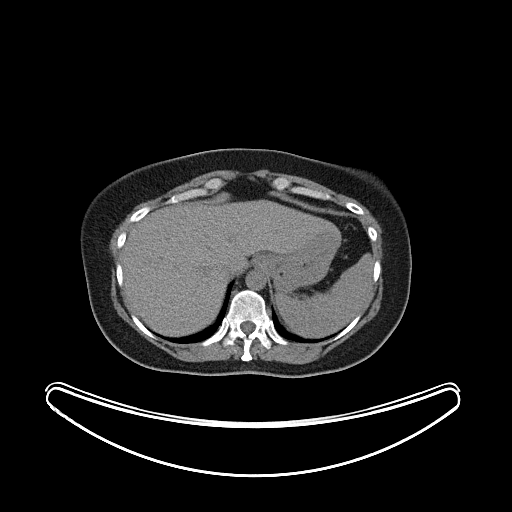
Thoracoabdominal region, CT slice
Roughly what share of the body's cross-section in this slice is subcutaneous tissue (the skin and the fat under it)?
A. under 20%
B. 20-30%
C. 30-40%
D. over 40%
Answer: C. 30-40%
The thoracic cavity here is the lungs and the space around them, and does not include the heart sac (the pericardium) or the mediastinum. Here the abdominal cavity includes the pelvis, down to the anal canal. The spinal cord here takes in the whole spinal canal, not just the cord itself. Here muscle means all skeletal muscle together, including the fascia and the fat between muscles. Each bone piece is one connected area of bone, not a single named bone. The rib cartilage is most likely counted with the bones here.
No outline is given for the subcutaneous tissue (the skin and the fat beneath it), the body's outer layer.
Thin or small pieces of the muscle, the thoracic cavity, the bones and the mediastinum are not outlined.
{"torso":[[[219,148],[281,150],[371,168],[387,180],[408,226],[412,260],[411,282],[407,305],[399,323],[371,356],[339,371],[307,377],[193,375],[159,371],[135,363],[114,348],[103,335],[90,307],[80,251],[80,226],[89,203],[104,186],[133,169],[168,158]]],"thoracic_cavity":[[[231,282],[232,282],[232,285],[230,290],[229,301],[226,313],[222,318],[218,328],[210,336],[201,341],[190,342],[189,343],[171,342],[158,336],[163,336],[167,338],[180,338],[196,334],[211,326],[216,321],[220,313],[220,311],[222,309],[228,285]],[[273,312],[275,314],[277,321],[279,324],[290,334],[293,334],[296,336],[298,336],[300,338],[309,339],[310,340],[311,339],[321,339],[333,336],[328,339],[319,342],[301,342],[300,341],[294,341],[286,339],[275,328],[274,322],[271,317],[271,314]]],"bones":[{"outer":[[241,290],[252,290],[264,299],[265,310],[270,315],[274,328],[288,341],[284,345],[272,340],[268,349],[255,338],[249,347],[251,355],[249,361],[241,360],[243,340],[239,337],[232,344],[225,346],[221,340],[206,346],[199,344],[219,328],[232,297]],"hole":[[246,321],[249,321],[250,322],[252,322],[254,324],[254,325],[255,326],[254,327],[254,329],[251,332],[250,332],[248,334],[247,334],[246,333],[245,333],[241,329],[241,324],[243,322],[245,322]]},[[277,177],[284,177],[289,180],[291,183],[294,185],[300,185],[304,187],[321,190],[324,192],[326,192],[331,196],[331,199],[330,200],[323,200],[301,194],[292,193],[290,192],[288,188],[286,188],[283,190],[278,190],[272,186],[272,181]],[[211,178],[220,178],[222,180],[222,186],[218,189],[216,190],[210,189],[206,195],[202,195],[201,196],[192,197],[188,199],[184,199],[175,203],[168,203],[167,204],[165,204],[165,201],[172,195],[177,193],[183,192],[192,188],[201,187],[207,180]],[[145,206],[148,206],[149,207],[150,207],[150,210],[141,219],[140,219],[138,221],[136,221],[135,222],[131,222],[129,220],[129,219],[130,218],[130,217],[132,215],[132,214],[135,211],[136,211],[138,209],[139,209],[142,207],[144,207]],[[131,314],[134,314],[138,318],[138,319],[151,332],[152,332],[156,336],[156,338],[152,338],[151,337],[150,337],[149,336],[148,336],[146,334],[145,334],[136,325],[136,324],[133,321],[133,320],[132,319],[132,318],[131,317]],[[359,314],[361,315],[360,316],[360,318],[355,324],[355,325],[350,330],[349,330],[346,333],[345,333],[342,336],[339,337],[337,339],[329,341],[329,339],[332,338],[342,330],[343,330],[344,328],[345,328],[356,317],[356,316],[357,316]],[[348,201],[349,202],[353,202],[354,203],[355,203],[356,204],[357,204],[363,210],[363,214],[356,214],[355,213],[354,213],[353,212],[352,212],[351,211],[350,211],[348,209],[347,209],[345,207],[345,203],[346,202],[347,202]],[[376,260],[378,260],[380,262],[380,265],[381,266],[381,270],[380,271],[380,274],[379,275],[379,276],[378,277],[378,278],[377,279],[377,280],[376,281],[375,281],[374,282],[373,281],[373,268],[374,267],[374,263],[375,262],[375,261]],[[117,263],[119,263],[121,265],[121,269],[122,270],[122,274],[123,275],[123,284],[122,285],[122,286],[119,286],[119,285],[118,284],[118,282],[117,281],[117,277],[116,276],[116,264]],[[368,226],[372,226],[375,229],[375,230],[376,231],[376,232],[377,233],[377,236],[376,237],[376,239],[375,240],[375,241],[371,241],[371,240],[370,239],[370,238],[368,236],[368,234],[367,233],[367,228],[368,227]]],"muscle":[[[222,169],[244,172],[268,169],[310,179],[356,199],[379,223],[384,253],[380,308],[370,321],[320,358],[303,364],[252,360],[252,342],[258,339],[268,350],[272,341],[284,346],[289,341],[331,342],[350,331],[361,318],[360,312],[366,304],[372,284],[381,274],[381,262],[374,259],[372,248],[372,242],[376,241],[378,233],[372,225],[366,228],[356,215],[364,214],[364,210],[357,203],[348,200],[344,207],[330,201],[332,196],[328,192],[294,184],[284,176],[275,177],[271,185],[258,176],[237,176],[223,185],[220,177],[211,177],[201,186],[172,194],[159,207],[151,210],[150,206],[145,205],[138,208],[128,219],[133,225],[127,233],[122,231],[116,238],[116,246],[121,248],[121,264],[115,264],[116,281],[119,287],[123,286],[127,303],[133,312],[130,314],[132,321],[145,335],[152,339],[157,336],[176,344],[198,343],[203,347],[220,341],[225,347],[239,338],[242,340],[240,359],[201,362],[177,359],[149,342],[117,314],[110,295],[109,251],[110,240],[116,227],[137,204],[155,198],[201,174]]],"abdominal_cavity":[[[243,176],[263,179],[301,201],[351,212],[366,229],[374,260],[373,282],[361,311],[335,335],[310,339],[287,331],[272,312],[271,279],[258,262],[227,285],[215,321],[196,333],[156,335],[130,307],[123,285],[122,248],[134,223],[156,208],[206,196]]],"spinal_cord":[[[246,321],[249,321],[250,322],[252,322],[254,324],[254,325],[255,326],[254,327],[254,329],[251,332],[250,332],[248,334],[247,334],[246,333],[245,333],[241,329],[241,324],[243,322],[245,322]]],"mediastinum":[[[254,263],[260,264],[266,270],[270,279],[270,282],[271,283],[271,313],[270,314],[268,314],[266,310],[266,301],[265,299],[259,293],[252,289],[241,289],[237,291],[231,297],[230,300],[231,290],[232,289],[234,280],[236,277],[245,270],[249,265]],[[283,191],[288,191],[292,194],[301,195],[302,196],[305,196],[306,197],[309,197],[318,200],[329,201],[334,204],[339,205],[349,211],[341,210],[340,209],[335,209],[334,208],[329,208],[323,206],[319,206],[313,203],[301,200]]]}